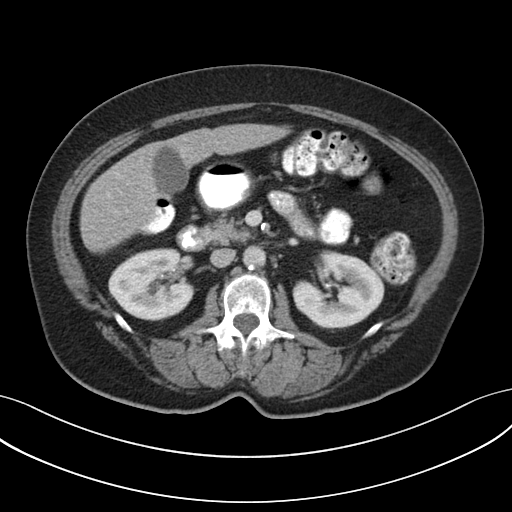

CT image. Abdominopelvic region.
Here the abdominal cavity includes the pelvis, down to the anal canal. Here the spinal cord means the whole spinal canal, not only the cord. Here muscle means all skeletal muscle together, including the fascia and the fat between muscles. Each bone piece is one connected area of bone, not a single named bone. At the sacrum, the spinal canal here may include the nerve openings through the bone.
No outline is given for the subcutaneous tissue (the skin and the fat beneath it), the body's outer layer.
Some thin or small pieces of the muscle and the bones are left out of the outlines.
The muscle is outlined by [[255,101],[277,101],[283,103],[307,104],[326,108],[343,114],[346,113],[399,138],[419,151],[436,166],[452,193],[453,200],[457,210],[458,236],[456,249],[451,262],[450,269],[440,289],[433,299],[390,347],[387,348],[383,353],[381,353],[375,358],[364,364],[350,379],[325,394],[299,401],[277,400],[264,397],[256,392],[245,380],[240,378],[235,378],[229,383],[230,384],[218,390],[203,391],[195,393],[187,393],[172,390],[154,382],[148,378],[122,353],[104,338],[102,334],[94,326],[64,284],[61,275],[58,271],[56,260],[52,249],[51,239],[52,215],[61,190],[80,162],[97,147],[120,133],[142,126],[167,115],[200,107]]; inner edge: [[263,105],[363,132],[430,184],[441,239],[407,305],[372,335],[331,345],[298,328],[276,283],[269,320],[295,336],[243,356],[238,343],[218,351],[212,333],[197,332],[224,316],[216,283],[201,315],[169,337],[126,331],[72,243],[81,189],[150,133]]. The bones appear in 3 outlined pieces: piece 1: [[245,273],[266,279],[272,295],[268,312],[270,322],[274,327],[295,336],[292,339],[278,337],[261,349],[250,344],[243,356],[238,343],[232,348],[218,351],[215,336],[208,332],[198,333],[197,330],[215,326],[221,321],[224,316],[221,291],[225,283]]; inner edge: [[244,313],[245,314],[253,314],[254,315],[255,315],[257,317],[257,318],[258,319],[258,324],[253,329],[252,329],[246,335],[245,335],[238,328],[237,328],[234,325],[234,318],[237,315],[238,315],[239,314],[243,314]]; piece 2: [[113,311],[115,311],[116,312],[119,313],[121,315],[121,316],[127,322],[127,323],[131,327],[131,328],[133,330],[133,332],[132,333],[130,333],[129,332],[126,331],[124,329],[123,329],[117,323],[117,322],[114,317],[114,315],[113,314]]; piece 3: [[379,321],[383,321],[383,324],[379,328],[379,329],[375,333],[374,333],[372,335],[371,335],[370,336],[369,336],[368,337],[367,337],[366,338],[361,338],[361,337],[362,336],[362,335],[372,325],[373,325],[374,324],[375,324],[377,322],[378,322]]. The spinal cord is outlined by [[244,313],[245,314],[253,314],[254,315],[255,315],[257,317],[257,318],[258,319],[258,324],[253,329],[252,329],[246,335],[245,335],[238,328],[237,328],[234,325],[234,318],[237,315],[238,315],[239,314],[243,314]]. The torso is outlined by [[242,63],[315,67],[384,88],[435,117],[465,156],[483,205],[483,253],[435,363],[408,387],[367,404],[309,417],[269,418],[240,396],[198,413],[161,413],[85,388],[52,356],[31,288],[25,228],[33,192],[54,149],[82,116],[128,88],[187,70]]. The abdominal cavity is outlined by [[263,105],[363,132],[415,167],[441,210],[432,261],[399,313],[345,344],[300,330],[285,287],[276,283],[271,290],[263,275],[249,272],[220,292],[212,285],[201,315],[169,337],[136,330],[95,286],[74,249],[70,222],[78,194],[100,166],[150,133]].